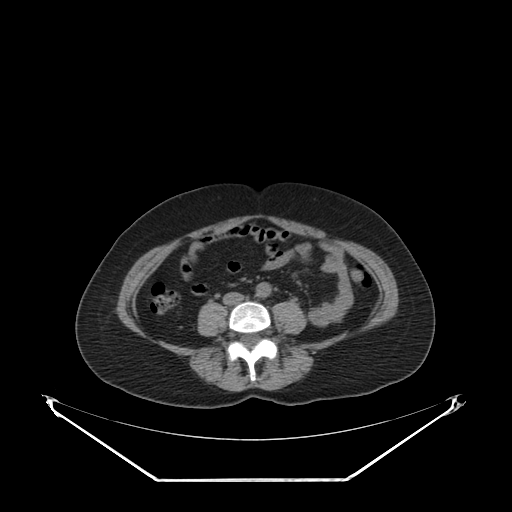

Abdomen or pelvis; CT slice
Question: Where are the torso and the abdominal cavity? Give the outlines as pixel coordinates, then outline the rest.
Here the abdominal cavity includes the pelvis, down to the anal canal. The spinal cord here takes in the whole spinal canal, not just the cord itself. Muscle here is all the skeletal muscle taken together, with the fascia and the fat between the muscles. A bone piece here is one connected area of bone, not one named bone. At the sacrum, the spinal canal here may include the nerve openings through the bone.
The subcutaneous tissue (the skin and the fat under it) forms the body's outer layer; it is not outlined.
Answer: torso: (274, 180) (303, 181) (344, 193) (372, 208) (398, 233) (420, 267) (434, 303) (435, 332) (422, 365) (407, 378) (360, 396) (298, 405) (251, 397) (212, 409) (155, 403) (98, 378) (77, 347) (75, 315) (89, 279) (120, 233) (144, 212) (178, 193) (218, 182) (260, 185)
abdominal cavity: (255, 218) (337, 243) (364, 266) (378, 290) (366, 319) (326, 339) (299, 341) (296, 336) (307, 324) (299, 303) (275, 303) (271, 318) (254, 300) (236, 304) (229, 314) (209, 300) (196, 319) (197, 332) (211, 338) (209, 343) (183, 346) (146, 331) (136, 298) (172, 251)
muscle: (258, 213) (293, 220) (300, 223) (313, 226) (335, 236) (356, 242) (370, 249) (380, 256) (390, 268) (396, 281) (399, 301) (396, 314) (391, 319) (379, 326) (374, 327) (372, 329) (348, 339) (340, 341) (336, 344) (326, 348) (319, 357) (319, 359) (315, 362) (312, 369) (305, 377) (300, 380) (276, 390) (265, 390) (257, 387) (251, 387) (241, 391) (228, 391) (219, 388) (215, 385) (206, 383) (202, 379) (198, 377) (190, 368) (188, 364) (184, 361) (182, 357) (178, 356) (176, 354) (162, 348) (156, 344) (151, 343) (146, 339) (137, 335) (133, 331) (126, 327) (119, 319) (115, 311) (115, 308) (117, 304) (119, 292) (127, 272) (135, 261) (150, 249) (156, 246) (165, 244) (186, 233) (201, 227) (236, 216) (251, 215) with a hole at (255, 218) (339, 244) (378, 295) (361, 324) (311, 342) (296, 338) (307, 324) (299, 303) (272, 305) (266, 333) (277, 353) (254, 363) (251, 381) (243, 358) (228, 359) (234, 336) (223, 305) (200, 307) (196, 330) (211, 340) (192, 347) (146, 331) (136, 298) (177, 247)
spinal cord: (246, 333) (259, 333) (259, 334) (260, 335) (260, 339) (258, 341) (258, 342) (255, 345) (254, 345) (250, 349) (249, 349) (248, 348) (247, 348) (239, 340) (239, 338) (240, 337) (240, 336) (241, 335) (241, 334) (245, 334)
bones: (244, 301) (260, 303) (268, 310) (271, 324) (266, 333) (277, 346) (277, 353) (274, 358) (270, 359) (262, 356) (254, 363) (254, 381) (250, 380) (247, 362) (241, 357) (232, 361) (229, 360) (227, 352) (227, 347) (234, 338) (233, 332) (228, 326) (228, 318) (231, 310); inner edge: (246, 333) (259, 333) (259, 334) (260, 335) (260, 339) (258, 341) (258, 342) (255, 345) (254, 345) (250, 349) (249, 349) (248, 348) (247, 348) (239, 340) (239, 338) (240, 337) (240, 336) (241, 335) (241, 334) (245, 334)